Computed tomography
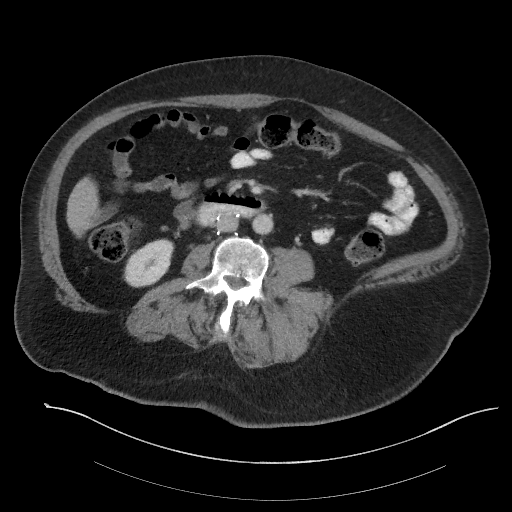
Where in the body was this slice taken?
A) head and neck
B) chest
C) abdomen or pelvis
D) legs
Answer: C) abdomen or pelvis
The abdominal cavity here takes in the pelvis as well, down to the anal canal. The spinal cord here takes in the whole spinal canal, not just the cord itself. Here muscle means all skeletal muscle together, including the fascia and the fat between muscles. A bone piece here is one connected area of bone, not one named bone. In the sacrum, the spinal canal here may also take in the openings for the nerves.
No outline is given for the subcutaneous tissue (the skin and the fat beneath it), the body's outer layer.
{"abdominal_cavity":[[[278,101],[303,103],[405,160],[443,213],[441,243],[364,272],[337,299],[300,285],[316,273],[305,249],[268,252],[236,233],[212,257],[211,243],[194,245],[182,275],[128,309],[81,295],[62,263],[56,214],[65,170],[88,138],[150,108],[240,110]]],"muscle":[{"outer":[[238,93],[261,93],[275,96],[291,96],[303,98],[312,103],[339,110],[384,133],[405,148],[411,149],[425,163],[429,165],[434,170],[445,185],[450,189],[450,191],[457,201],[458,207],[462,214],[463,223],[465,227],[465,235],[462,238],[463,247],[461,254],[454,264],[444,271],[421,281],[391,284],[385,287],[373,288],[357,293],[353,297],[351,297],[347,302],[344,303],[333,314],[330,318],[329,322],[325,326],[325,328],[321,333],[317,343],[299,366],[293,370],[269,379],[262,379],[250,376],[244,369],[242,369],[236,363],[232,357],[228,347],[225,343],[222,342],[213,344],[210,347],[202,349],[197,352],[190,352],[170,356],[162,356],[140,351],[136,347],[132,337],[122,324],[119,316],[120,315],[118,313],[104,314],[89,311],[77,311],[68,306],[62,305],[55,297],[55,289],[57,284],[46,272],[42,263],[41,253],[39,250],[38,217],[37,215],[42,188],[59,152],[69,138],[78,129],[94,117],[102,114],[112,108],[129,103],[146,100],[160,101],[177,97],[194,95],[237,94]],"hole":[[278,101],[405,160],[443,213],[441,243],[364,272],[337,299],[300,285],[316,273],[308,251],[271,247],[265,298],[237,302],[225,336],[215,327],[224,296],[185,288],[211,270],[211,243],[128,309],[81,295],[56,214],[88,138],[150,108]]}],"torso":[[[247,54],[302,59],[391,94],[450,143],[481,195],[492,261],[483,303],[429,375],[385,407],[316,425],[240,427],[200,408],[140,404],[63,372],[48,371],[36,365],[18,342],[13,305],[20,266],[20,197],[47,139],[90,99],[130,77],[183,61]]],"bones":[{"outer":[[235,234],[249,237],[263,246],[269,255],[269,261],[261,284],[265,298],[251,299],[247,305],[237,302],[233,307],[229,330],[225,336],[215,327],[220,313],[226,306],[224,296],[209,294],[198,287],[186,289],[185,286],[211,270],[214,249],[223,239]],"hole":[[226,276],[232,276],[233,277],[236,277],[237,278],[241,278],[242,279],[243,279],[247,283],[247,284],[246,284],[243,286],[241,286],[239,288],[237,288],[236,289],[233,289],[229,285],[229,284],[227,282],[227,281],[225,279],[225,277]]}],"spinal_cord":[[[226,276],[232,276],[233,277],[236,277],[237,278],[241,278],[242,279],[243,279],[247,283],[247,284],[246,284],[243,286],[241,286],[239,288],[237,288],[236,289],[233,289],[229,285],[229,284],[227,282],[227,281],[225,279],[225,277]]]}